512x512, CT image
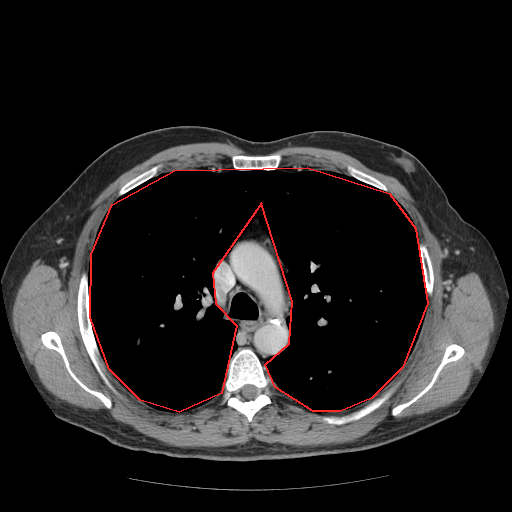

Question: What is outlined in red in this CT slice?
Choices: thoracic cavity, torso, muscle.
Answer: red: thoracic cavity.
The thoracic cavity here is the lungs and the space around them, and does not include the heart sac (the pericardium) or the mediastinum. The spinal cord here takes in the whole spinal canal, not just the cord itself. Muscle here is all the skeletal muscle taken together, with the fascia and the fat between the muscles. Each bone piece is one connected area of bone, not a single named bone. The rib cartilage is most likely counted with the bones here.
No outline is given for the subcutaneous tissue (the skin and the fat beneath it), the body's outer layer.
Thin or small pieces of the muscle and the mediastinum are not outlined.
Outlines (x, y in pixels):
thoracic cavity: (307, 167) (389, 193) (415, 228) (427, 303) (402, 367) (371, 398) (340, 411) (313, 411) (275, 387) (265, 364) (289, 343) (292, 301) (261, 203) (212, 273) (215, 303) (236, 325) (221, 393) (179, 412) (140, 400) (109, 369) (90, 317) (91, 254) (112, 204) (174, 170)
muscle 1: (197, 142) (231, 143) (249, 154) (232, 154) (230, 168) (212, 164) (159, 173) (158, 163) (132, 177) (105, 213) (88, 270) (79, 277) (80, 337) (115, 395) (123, 397) (115, 385) (120, 384) (155, 410) (179, 413) (221, 394) (221, 405) (251, 422) (273, 402) (276, 389) (301, 406) (289, 404) (290, 409) (311, 421) (341, 426) (369, 415) (397, 390) (402, 381) (394, 378) (415, 346) (433, 294) (429, 249) (378, 178) (350, 163) (346, 173) (280, 166) (282, 155) (271, 153) (290, 145) (341, 151) (396, 178) (440, 244) (443, 278) (478, 274) (494, 329) (461, 396) (444, 407) (382, 422) (351, 442) (295, 446) (251, 438) (229, 446) (182, 447) (50, 393) (13, 324) (22, 280) (38, 260) (67, 278) (99, 194) (154, 154), around holes outlined by (47, 331) (54, 331) (58, 334) (64, 352) (69, 362) (70, 368) (72, 371) (90, 389) (99, 391) (109, 398) (112, 403) (110, 408) (107, 408) (96, 396) (86, 391) (81, 387) (68, 372) (65, 367) (64, 361) (61, 355) (56, 350) (48, 348) (42, 343) (41, 335) and by (453, 343) (461, 346) (464, 349) (463, 355) (457, 360) (450, 361) (446, 363) (439, 372) (438, 376) (432, 386) (414, 402) (404, 408) (397, 415) (393, 416) (391, 411) (395, 406) (398, 404) (407, 402) (413, 398) (429, 383) (435, 370) (442, 360) (446, 347) (448, 345)
muscle 2: (370, 399) (371, 399) (369, 401) (365, 403) (362, 406) (345, 413) (342, 413) (341, 414) (324, 414) (323, 413) (319, 413) (331, 413) (332, 412) (340, 412) (341, 411) (344, 411) (345, 410) (351, 410) (363, 404)
mediastinum: (261, 204) (267, 234) (287, 268) (287, 290) (291, 301) (290, 315) (286, 319) (289, 330) (288, 343) (281, 352) (269, 357) (264, 366) (251, 348) (243, 347) (236, 351) (237, 325) (224, 317) (222, 309) (216, 303) (213, 284) (213, 273) (218, 260) (231, 250) (255, 219)
bones 1: (243, 348) (251, 349) (258, 357) (265, 368) (265, 372) (272, 379) (277, 394) (275, 397) (272, 398) (272, 402) (270, 404) (265, 405) (253, 415) (251, 421) (249, 421) (245, 415) (233, 407) (225, 403) (220, 403) (223, 389) (222, 386) (227, 376) (230, 360) (236, 352) with a hole at (248, 384) (249, 384) (250, 385) (253, 385) (257, 388) (257, 394) (254, 398) (253, 398) (252, 399) (247, 399) (246, 400) (245, 399) (243, 399) (242, 398) (242, 397) (240, 394) (240, 389) (243, 386) (244, 386) (245, 385) (247, 385)
bones 2: (83, 272) (87, 272) (88, 310) (89, 311) (91, 328) (93, 332) (95, 342) (102, 359) (112, 375) (119, 383) (119, 384) (114, 385) (121, 394) (122, 397) (115, 394) (104, 382) (92, 362) (92, 360) (90, 358) (81, 337) (77, 315) (77, 292) (80, 277)
bones 3: (394, 379) (399, 379) (401, 382) (393, 394) (387, 400) (369, 414) (358, 420) (345, 424) (335, 425) (311, 420) (304, 412) (297, 411) (289, 407) (289, 405) (295, 405) (301, 407) (306, 412) (313, 412) (324, 415) (345, 414) (362, 407) (373, 398) (379, 395) (381, 391)
bones 4: (273, 153) (279, 153) (282, 157) (282, 159) (281, 160) (281, 162) (280, 163) (279, 167) (273, 170) (260, 170) (259, 169) (256, 169) (255, 170) (238, 170) (237, 169) (233, 168) (231, 164) (231, 156) (234, 154) (236, 154) (237, 155) (266, 155) (267, 154) (272, 154)
bones 5: (47, 331) (54, 331) (58, 334) (64, 352) (69, 362) (70, 368) (72, 371) (90, 389) (99, 391) (109, 398) (112, 403) (110, 408) (107, 408) (96, 396) (86, 391) (81, 387) (68, 372) (65, 367) (64, 361) (61, 355) (56, 350) (48, 348) (42, 343) (41, 335)
bones 6: (453, 343) (461, 346) (464, 349) (463, 355) (457, 360) (450, 361) (446, 363) (439, 372) (438, 376) (432, 386) (414, 402) (404, 408) (397, 415) (393, 416) (391, 411) (395, 406) (398, 404) (407, 402) (413, 398) (429, 383) (435, 370) (442, 360) (446, 347) (448, 345)
bones 7: (419, 242) (422, 242) (426, 245) (431, 259) (432, 269) (433, 270) (433, 289) (432, 290) (432, 294) (430, 297) (428, 297) (425, 290) (424, 278) (423, 277) (423, 270) (422, 269) (422, 263) (421, 262) (421, 256) (420, 255) (420, 249) (419, 248)
bones 8: (158, 164) (161, 164) (162, 165) (162, 167) (158, 171) (158, 173) (155, 176) (146, 180) (144, 182) (141, 183) (139, 185) (136, 186) (134, 188) (131, 189) (124, 194) (117, 197) (118, 192) (123, 185) (124, 185) (128, 181) (129, 181) (132, 178) (135, 177) (140, 173)
bones 9: (348, 164) (350, 164) (354, 167) (370, 175) (372, 175) (374, 177) (378, 179) (382, 183) (383, 183) (386, 186) (389, 191) (388, 192) (387, 191) (384, 191) (372, 185) (365, 183) (357, 179) (353, 176) (351, 176) (347, 174) (347, 171) (346, 170) (346, 165)
spinal cord: (248, 384) (249, 384) (250, 385) (253, 385) (257, 388) (257, 394) (254, 398) (253, 398) (252, 399) (247, 399) (246, 400) (245, 399) (243, 399) (242, 398) (242, 397) (240, 394) (240, 389) (243, 386) (244, 386) (245, 385) (247, 385)
torso: (178, 125) (213, 127) (253, 141) (314, 130) (345, 131) (397, 145) (422, 162) (461, 217) (488, 239) (508, 287) (501, 329) (489, 361) (454, 416) (369, 450) (227, 462) (128, 450) (55, 415) (32, 381) (12, 336) (1, 282) (4, 267) (24, 231) (102, 152) (140, 133)